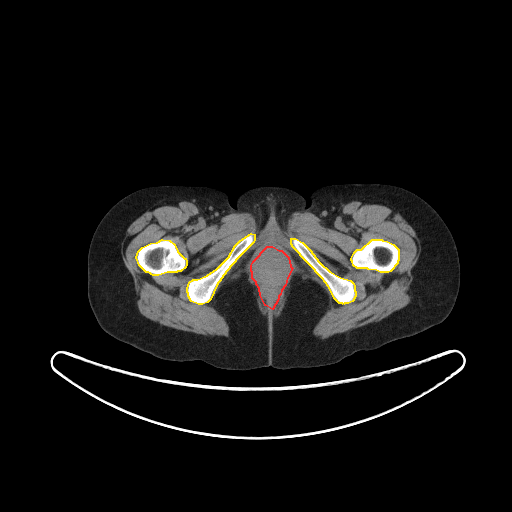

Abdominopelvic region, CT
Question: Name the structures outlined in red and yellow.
Answer: red: abdominal cavity; yellow: bones.
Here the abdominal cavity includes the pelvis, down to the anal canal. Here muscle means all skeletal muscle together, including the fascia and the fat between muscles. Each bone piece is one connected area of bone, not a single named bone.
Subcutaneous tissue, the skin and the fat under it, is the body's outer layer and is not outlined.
{"abdominal_cavity":[[[267,246],[272,246],[279,250],[281,250],[288,257],[290,266],[292,268],[287,277],[285,285],[281,290],[280,294],[278,296],[278,299],[272,309],[265,305],[260,295],[259,288],[256,284],[256,282],[252,278],[252,272],[251,271],[251,265],[253,261]]],"bones":[[[162,239],[169,240],[174,244],[177,251],[184,258],[185,258],[186,260],[186,265],[185,267],[180,271],[177,271],[176,272],[167,272],[158,275],[153,275],[148,272],[146,272],[139,265],[136,257],[138,251],[142,247],[150,243],[157,242]],[[251,233],[254,234],[254,240],[253,242],[238,257],[226,271],[216,285],[210,299],[207,302],[202,304],[198,304],[191,301],[188,296],[188,293],[187,292],[187,288],[189,282],[193,279],[197,279],[205,276],[216,269],[228,257],[235,245],[240,240]],[[372,239],[381,239],[382,240],[387,241],[393,244],[398,249],[398,260],[397,261],[397,263],[390,271],[388,272],[380,272],[376,270],[368,269],[367,268],[357,268],[353,265],[352,261],[351,260],[351,258],[354,252],[357,249],[361,249]],[[291,238],[295,238],[302,242],[309,249],[319,262],[329,271],[340,277],[350,280],[353,283],[354,285],[354,290],[355,291],[355,296],[352,301],[348,303],[344,303],[343,304],[342,303],[339,303],[335,299],[328,286],[322,278],[293,247],[291,244]]],"muscle":[{"outer":[[363,197],[388,201],[413,228],[421,244],[411,270],[410,302],[379,321],[324,339],[314,336],[312,329],[328,309],[329,298],[318,283],[296,272],[278,315],[262,313],[246,271],[223,283],[214,296],[214,307],[227,321],[229,337],[164,326],[135,307],[133,278],[123,262],[121,244],[128,226],[158,201],[188,199],[204,209],[212,222],[231,213],[247,212],[260,230],[285,230],[294,212],[313,213],[327,224],[344,202]],"holes":[[[267,246],[272,246],[279,250],[281,250],[288,257],[290,266],[292,268],[287,277],[285,285],[281,290],[280,294],[278,296],[278,299],[272,309],[265,305],[260,295],[259,288],[256,284],[256,282],[252,278],[252,272],[251,271],[251,265],[253,261]],[[162,239],[169,240],[174,244],[177,251],[184,258],[185,258],[186,260],[186,265],[185,267],[180,271],[177,271],[176,272],[167,272],[158,275],[153,275],[148,272],[146,272],[139,265],[136,257],[138,251],[142,247],[150,243],[157,242]],[[251,233],[254,234],[254,240],[253,242],[238,257],[226,271],[216,285],[210,299],[207,302],[202,304],[198,304],[191,301],[188,296],[188,293],[187,292],[187,288],[189,282],[193,279],[197,279],[205,276],[216,269],[228,257],[235,245],[240,240]],[[372,239],[381,239],[382,240],[387,241],[393,244],[398,249],[398,260],[397,261],[397,263],[390,271],[388,272],[380,272],[376,270],[368,269],[367,268],[357,268],[353,265],[352,261],[351,260],[351,258],[354,252],[357,249],[361,249]],[[291,238],[295,238],[302,242],[309,249],[319,262],[329,271],[340,277],[350,280],[353,283],[354,285],[354,290],[355,291],[355,296],[352,301],[348,303],[344,303],[343,304],[342,303],[339,303],[335,299],[328,286],[322,278],[293,247],[291,244]]]}],"torso":[[[346,183],[402,187],[443,219],[457,247],[460,286],[441,323],[329,365],[248,370],[159,358],[114,338],[98,324],[87,296],[88,248],[102,217],[126,195],[149,186],[207,186],[224,192],[234,206],[243,192],[258,186],[287,187],[308,198],[320,187]]]}